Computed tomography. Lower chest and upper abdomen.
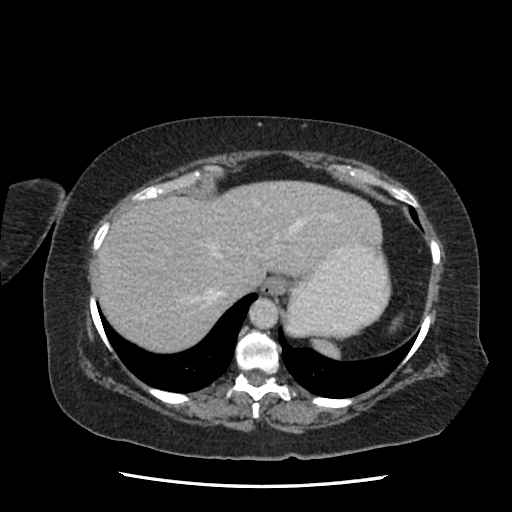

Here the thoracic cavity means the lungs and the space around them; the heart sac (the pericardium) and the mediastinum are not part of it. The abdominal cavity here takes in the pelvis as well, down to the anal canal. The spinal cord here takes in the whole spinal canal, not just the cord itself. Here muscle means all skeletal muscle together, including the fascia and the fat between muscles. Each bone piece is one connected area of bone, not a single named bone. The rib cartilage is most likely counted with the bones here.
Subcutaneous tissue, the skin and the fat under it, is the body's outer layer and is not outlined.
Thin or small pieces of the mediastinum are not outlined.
The abdominal cavity is outlined by [[273,154],[365,184],[407,205],[413,221],[423,228],[432,263],[419,329],[384,355],[335,360],[288,343],[280,327],[286,291],[263,286],[238,299],[198,343],[183,351],[153,353],[122,337],[96,299],[98,252],[112,222],[135,202],[236,172],[249,159]]. The mediastinum appears in 2 outlined pieces: piece 1: [[263,287],[278,287],[279,288],[282,288],[285,291],[284,305],[281,309],[281,321],[277,332],[277,341],[278,343],[266,333],[256,329],[252,329],[238,339],[238,334],[241,329],[243,321],[247,314],[248,309],[252,302],[258,297],[257,291],[260,288]]; piece 2: [[366,184],[367,184],[368,185],[371,185],[372,186],[375,186],[376,187],[378,187],[382,190],[385,191],[396,200],[398,200],[394,200],[390,197],[389,197],[384,194],[382,194],[375,190],[373,190],[372,189],[371,189]]. The muscle is outlined by [[254,149],[310,150],[311,151],[321,151],[344,157],[354,158],[366,162],[385,172],[402,183],[417,197],[419,203],[423,207],[426,215],[433,224],[437,234],[443,242],[445,252],[445,262],[442,282],[444,288],[441,293],[442,295],[440,303],[441,310],[438,317],[440,320],[437,323],[439,326],[437,339],[442,343],[441,349],[447,355],[449,363],[448,367],[449,372],[443,376],[425,378],[406,385],[403,388],[379,400],[368,410],[362,411],[358,415],[344,422],[321,428],[308,429],[303,433],[285,432],[270,427],[266,424],[261,426],[258,425],[256,429],[249,432],[245,432],[228,428],[223,425],[202,426],[182,422],[164,415],[121,393],[108,389],[93,381],[84,373],[78,362],[79,354],[77,349],[77,341],[80,328],[79,326],[80,315],[82,314],[82,310],[84,308],[82,303],[83,299],[81,296],[83,282],[82,274],[84,270],[83,265],[85,262],[85,256],[89,245],[88,236],[94,225],[121,198],[130,191],[158,175],[161,175],[177,166],[185,164],[198,158],[221,153],[230,153],[234,151]], around a hole outlined by [[273,154],[328,172],[331,164],[349,164],[413,195],[421,226],[440,256],[431,266],[424,310],[431,314],[428,331],[400,368],[344,407],[312,403],[315,395],[281,365],[276,381],[296,395],[284,400],[267,392],[254,418],[248,393],[225,396],[239,372],[234,361],[209,385],[187,392],[189,401],[162,401],[109,351],[94,325],[89,307],[89,296],[96,296],[94,237],[148,186],[204,165],[236,172],[249,159]]. The thoracic cavity appears in 3 outlined pieces: piece 1: [[252,293],[256,293],[257,297],[249,305],[237,334],[233,356],[234,361],[224,374],[209,385],[186,393],[154,387],[137,377],[120,359],[110,343],[105,332],[97,304],[109,325],[122,338],[147,352],[169,355],[183,352],[198,344],[228,309],[238,300]]; piece 2: [[279,328],[281,328],[285,340],[290,346],[294,348],[309,348],[322,356],[335,361],[359,361],[384,356],[402,346],[418,331],[407,353],[383,380],[373,387],[353,396],[335,398],[315,395],[308,391],[297,383],[281,365],[281,346],[278,341]]; piece 3: [[408,205],[409,206],[411,206],[413,208],[414,208],[415,209],[415,210],[417,213],[417,215],[418,216],[418,218],[419,219],[419,221],[421,224],[421,227],[420,227],[414,221],[414,220],[410,215],[410,212],[409,211],[409,209],[408,208]]. The torso is outlined by [[207,115],[291,116],[370,128],[416,147],[451,180],[476,237],[479,337],[488,361],[463,405],[437,435],[319,460],[201,459],[94,434],[60,409],[49,382],[42,307],[52,232],[3,284],[0,239],[10,185],[45,176],[68,190],[102,150],[127,134]]. The spinal cord is outlined by [[252,369],[260,369],[261,370],[262,370],[266,374],[266,375],[267,376],[266,377],[266,378],[264,380],[264,382],[261,385],[259,385],[258,386],[255,386],[254,385],[249,383],[249,381],[246,376],[246,372],[247,371],[248,371],[249,370],[251,370]]. The bones appear in 9 outlined pieces: piece 1: [[252,330],[266,334],[280,346],[280,367],[274,375],[276,381],[287,384],[291,391],[296,392],[289,400],[282,399],[274,392],[267,392],[258,401],[257,418],[252,416],[254,401],[248,393],[234,391],[229,398],[225,396],[239,372],[234,358],[236,344]]; inner edge: [[252,369],[260,369],[261,370],[262,370],[266,374],[266,375],[267,376],[266,377],[266,378],[264,380],[264,382],[261,385],[259,385],[258,386],[255,386],[254,385],[249,383],[249,381],[246,376],[246,372],[247,371],[248,371],[249,370],[251,370]]; piece 2: [[204,165],[218,165],[223,167],[225,172],[221,176],[215,176],[212,179],[199,180],[189,186],[182,187],[178,189],[173,189],[165,193],[162,193],[156,197],[137,201],[133,201],[131,199],[131,197],[134,194],[148,186],[171,180],[196,169],[201,169]]; piece 3: [[334,163],[336,164],[349,164],[353,167],[357,167],[366,170],[396,187],[406,189],[413,195],[419,206],[417,208],[415,208],[403,201],[396,199],[378,186],[367,183],[360,183],[357,181],[353,181],[351,179],[340,178],[334,175],[328,169],[328,167]]; piece 4: [[90,295],[93,295],[95,297],[98,313],[100,317],[100,320],[101,321],[104,332],[107,337],[107,339],[109,343],[113,348],[118,358],[115,356],[115,354],[113,352],[109,351],[106,347],[94,325],[94,323],[91,316],[90,308],[89,307],[89,296]]; piece 5: [[425,314],[431,314],[431,321],[430,322],[430,325],[429,326],[428,331],[424,339],[418,348],[415,351],[415,352],[411,356],[411,357],[400,368],[397,369],[396,368],[397,366],[405,357],[411,348],[418,334],[422,320]]; piece 6: [[145,385],[148,385],[154,388],[157,388],[164,391],[174,392],[175,393],[183,393],[184,394],[186,394],[190,399],[189,401],[186,401],[182,403],[175,403],[174,404],[173,403],[165,402],[164,401],[162,401],[160,399],[152,395],[144,387]]; piece 7: [[314,396],[320,396],[321,397],[325,397],[326,398],[334,398],[335,399],[340,399],[341,398],[347,398],[348,397],[353,397],[354,398],[354,400],[352,402],[352,403],[344,407],[325,407],[324,406],[319,406],[316,404],[312,403],[311,399]]; piece 8: [[106,221],[108,221],[110,223],[109,225],[109,227],[107,230],[107,232],[105,234],[105,236],[103,238],[103,240],[101,243],[101,245],[99,247],[99,249],[96,251],[94,251],[93,250],[93,240],[94,239],[94,237],[98,229],[101,226],[101,225]]; piece 9: [[431,239],[434,239],[437,242],[437,243],[438,244],[438,246],[439,247],[439,255],[440,256],[440,260],[439,261],[439,263],[436,265],[434,265],[432,262],[432,256],[431,255],[431,251],[430,250],[430,244],[429,243],[430,242],[430,240]].